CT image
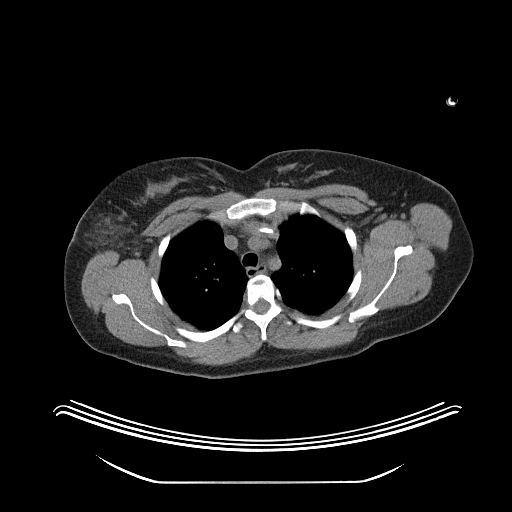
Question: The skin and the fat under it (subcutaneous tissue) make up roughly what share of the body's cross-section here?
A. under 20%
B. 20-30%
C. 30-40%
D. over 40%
Answer: C. 30-40%
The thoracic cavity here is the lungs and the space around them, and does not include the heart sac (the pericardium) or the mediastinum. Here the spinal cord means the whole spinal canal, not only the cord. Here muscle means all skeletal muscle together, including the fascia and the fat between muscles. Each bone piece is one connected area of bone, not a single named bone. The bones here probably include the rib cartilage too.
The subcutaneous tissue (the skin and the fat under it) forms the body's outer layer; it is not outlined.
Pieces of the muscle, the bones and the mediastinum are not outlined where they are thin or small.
{"torso":[[[295,148],[353,152],[414,170],[449,190],[470,234],[474,253],[466,279],[435,320],[418,330],[380,341],[352,357],[220,379],[135,365],[100,353],[82,339],[66,308],[64,259],[80,216],[104,185],[128,168],[160,158],[202,156],[244,169],[268,154]]],"bones":[{"outer":[[258,274],[271,278],[280,292],[283,307],[283,310],[268,323],[265,330],[266,340],[261,339],[260,328],[243,315],[239,318],[243,325],[238,332],[229,329],[204,342],[185,338],[175,330],[178,326],[192,331],[207,331],[224,323],[239,311],[248,280]],"hole":[[259,299],[262,299],[263,300],[264,300],[265,301],[266,301],[269,304],[269,306],[268,307],[268,308],[267,309],[267,310],[265,312],[264,312],[263,313],[257,313],[255,311],[253,311],[251,309],[251,307],[252,306],[253,306],[258,301],[258,300]]},[[248,197],[273,198],[278,202],[283,200],[298,203],[306,202],[314,207],[319,212],[321,217],[314,214],[301,215],[298,213],[290,214],[286,212],[273,212],[265,216],[252,214],[241,219],[228,219],[219,223],[206,219],[209,214],[218,210],[223,210]],[[408,244],[412,247],[412,251],[411,253],[407,255],[404,255],[398,259],[396,273],[393,279],[375,304],[379,309],[377,312],[369,316],[363,316],[353,322],[350,322],[348,320],[349,312],[369,303],[378,294],[389,278],[393,270],[394,249],[397,246]],[[114,293],[115,294],[124,293],[131,301],[135,314],[143,322],[166,334],[173,339],[183,340],[186,343],[186,346],[185,347],[169,346],[167,344],[166,339],[163,336],[148,330],[136,321],[132,316],[130,308],[127,304],[116,303],[112,299],[112,294]],[[337,314],[341,314],[342,315],[341,317],[335,323],[325,328],[316,328],[315,327],[310,327],[303,324],[300,324],[299,323],[297,323],[292,317],[292,316],[300,316],[301,317],[304,317],[312,320],[321,320],[322,319],[327,319],[328,318],[330,318]],[[359,269],[360,269],[362,272],[362,275],[361,276],[361,282],[360,283],[359,288],[358,289],[356,294],[354,296],[354,297],[350,301],[347,301],[347,295],[346,294],[346,291],[353,279],[353,276],[354,275],[354,274],[356,272],[356,271]],[[344,226],[349,226],[351,227],[353,229],[355,233],[355,237],[356,238],[356,242],[357,243],[357,246],[356,247],[356,250],[354,253],[352,252],[348,244],[348,242],[346,239],[346,237],[343,232],[343,228]],[[151,277],[154,277],[156,279],[157,281],[157,283],[158,284],[158,286],[159,287],[159,289],[164,299],[166,301],[167,303],[167,305],[162,305],[160,304],[155,298],[152,292],[152,290],[151,289],[151,285],[150,284],[150,278]],[[169,233],[172,234],[172,237],[171,238],[171,239],[170,240],[170,241],[169,242],[169,243],[168,244],[168,245],[167,246],[161,259],[160,259],[158,256],[158,246],[159,245],[159,244],[160,243],[160,241],[162,239],[162,238],[164,236],[165,236]]],"muscle":[{"outer":[[326,183],[358,187],[376,202],[354,220],[354,226],[363,235],[386,219],[406,219],[409,209],[420,202],[438,205],[452,220],[447,251],[435,266],[429,292],[414,303],[378,312],[376,304],[394,279],[399,259],[413,251],[409,243],[397,245],[393,249],[391,273],[380,290],[369,302],[348,312],[350,323],[369,317],[348,344],[312,351],[264,344],[252,356],[230,364],[189,363],[167,346],[133,345],[115,337],[92,315],[83,299],[81,279],[94,254],[111,249],[119,253],[121,260],[145,259],[157,240],[141,233],[169,203],[187,195],[210,196],[233,190],[247,197],[212,211],[173,237],[167,233],[157,246],[159,275],[157,280],[154,276],[149,278],[150,289],[160,305],[168,305],[196,329],[176,325],[174,330],[180,336],[204,343],[229,330],[238,333],[244,325],[240,319],[243,316],[259,328],[264,342],[269,323],[284,310],[283,305],[304,314],[319,315],[345,294],[350,302],[363,275],[360,268],[354,273],[353,254],[358,246],[354,229],[344,225],[340,230],[306,201],[251,196],[266,187],[303,189]],"holes":[[[114,293],[115,294],[124,293],[131,301],[135,314],[143,322],[166,334],[173,339],[183,340],[186,343],[186,346],[185,347],[169,346],[167,344],[166,339],[163,336],[148,330],[136,321],[132,316],[130,308],[127,304],[116,303],[112,299],[112,294]],[[337,314],[341,314],[342,315],[341,317],[335,323],[325,328],[316,328],[315,327],[310,327],[303,324],[300,324],[299,323],[297,323],[292,317],[292,316],[300,316],[301,317],[304,317],[312,320],[321,320],[322,319],[327,319],[328,318],[330,318]]]}],"mediastinum":[[[273,213],[286,213],[290,215],[279,225],[279,236],[276,248],[281,261],[281,267],[274,271],[270,276],[264,273],[258,273],[248,279],[245,270],[241,265],[236,254],[225,246],[223,231],[219,224],[228,220],[241,220],[252,215],[265,217]]],"spinal_cord":[[[259,299],[262,299],[263,300],[264,300],[265,301],[266,301],[269,304],[269,306],[268,307],[268,308],[267,309],[267,310],[265,312],[264,312],[263,313],[257,313],[255,311],[253,311],[251,309],[251,307],[252,306],[253,306],[258,301],[258,300]]],"thoracic_cavity":[[[201,220],[212,221],[219,225],[223,235],[224,246],[235,254],[247,277],[247,281],[243,295],[243,300],[238,311],[218,326],[207,330],[197,329],[194,326],[182,319],[174,312],[165,299],[158,283],[161,268],[161,260],[172,238],[196,222]],[[294,214],[298,214],[301,216],[314,215],[325,220],[343,233],[352,253],[353,275],[345,293],[334,305],[319,314],[308,314],[286,306],[282,302],[282,295],[280,290],[275,285],[271,277],[274,272],[282,267],[282,261],[277,248],[280,236],[280,225]]]}